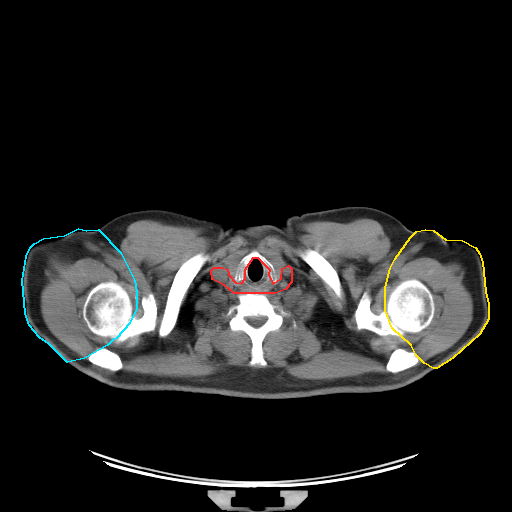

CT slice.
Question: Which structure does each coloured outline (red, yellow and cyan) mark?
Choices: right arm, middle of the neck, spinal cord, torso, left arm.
Answer: red: middle of the neck; yellow: left arm; cyan: right arm.
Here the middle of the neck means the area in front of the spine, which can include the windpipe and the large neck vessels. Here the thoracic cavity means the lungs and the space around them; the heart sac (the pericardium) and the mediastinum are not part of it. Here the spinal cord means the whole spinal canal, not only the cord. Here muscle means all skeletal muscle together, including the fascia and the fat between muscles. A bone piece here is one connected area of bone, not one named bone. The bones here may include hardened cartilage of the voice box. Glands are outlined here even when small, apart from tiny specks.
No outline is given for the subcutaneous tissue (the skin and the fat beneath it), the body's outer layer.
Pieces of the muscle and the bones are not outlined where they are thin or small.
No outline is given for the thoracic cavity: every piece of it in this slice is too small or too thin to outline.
The middle of the neck is outlined by (253, 257) (257, 257) (269, 269) (268, 274) (272, 283) (281, 278) (282, 268) (288, 265) (291, 268) (291, 282) (285, 289) (275, 293) (234, 293) (224, 285) (212, 279) (211, 270) (214, 267) (222, 267) (227, 269) (228, 274) (235, 282) (241, 283) (245, 278) (245, 269). The left arm is outlined by (425, 229) (433, 230) (445, 239) (462, 240) (475, 247) (479, 253) (482, 262) (485, 291) (488, 304) (488, 319) (479, 334) (452, 358) (436, 368) (433, 368) (424, 363) (416, 355) (411, 345) (392, 328) (385, 310) (385, 287) (390, 268) (395, 258) (410, 237) (416, 231). The right arm is outlined by (78, 228) (86, 230) (98, 229) (120, 252) (134, 280) (136, 291) (136, 308) (129, 323) (116, 338) (113, 339) (107, 345) (84, 358) (67, 362) (49, 344) (39, 337) (29, 325) (25, 313) (22, 280) (26, 256) (30, 247) (34, 243) (43, 238) (64, 235). The spinal cord is outlined by (259, 315) (260, 316) (265, 316) (266, 317) (266, 320) (260, 326) (259, 326) (258, 327) (254, 327) (252, 325) (251, 325) (245, 319) (245, 317) (249, 317) (250, 316) (258, 316). The torso is outlined by (345, 206) (382, 210) (415, 231) (389, 268) (384, 310) (391, 328) (434, 369) (422, 378) (382, 392) (260, 399) (125, 390) (101, 383) (68, 363) (107, 346) (136, 312) (134, 277) (121, 252) (99, 229) (113, 218) (164, 209) (215, 221) (227, 229) (281, 225) (292, 215). The muscle is outlined by (357, 218) (379, 222) (392, 250) (442, 263) (456, 261) (465, 269) (463, 283) (472, 296) (473, 318) (453, 345) (418, 365) (414, 351) (396, 347) (385, 364) (388, 372) (331, 380) (244, 366) (202, 377) (157, 376) (121, 370) (120, 355) (105, 346) (95, 348) (87, 360) (80, 357) (49, 330) (41, 314) (49, 253) (72, 260) (108, 253) (119, 247) (126, 227) (137, 220) (200, 227) (204, 236) (225, 240) (242, 233) (288, 239) (299, 232) (299, 223) with holes at (200, 252) (209, 258) (190, 283) (176, 324) (165, 337) (160, 337) (155, 329) (116, 342) (93, 333) (87, 327) (82, 313) (86, 297) (94, 286) (106, 281) (117, 282) (126, 290) (132, 313) (137, 318) (143, 314) (141, 298) (152, 293) (158, 326) (176, 272) (186, 260) and at (253, 250) (282, 268) (285, 265) (291, 268) (291, 282) (285, 289) (264, 294) (287, 313) (280, 327) (269, 331) (262, 341) (265, 366) (249, 364) (250, 337) (229, 327) (231, 316) (227, 311) (239, 302) (238, 294) (211, 277) (214, 267) (227, 269) (230, 261) (240, 260) and at (412, 278) (422, 282) (429, 289) (433, 297) (434, 315) (431, 322) (425, 328) (415, 333) (406, 332) (401, 336) (382, 336) (367, 329) (359, 330) (357, 328) (354, 312) (365, 291) (367, 291) (371, 297) (371, 311) (379, 314) (386, 309) (386, 303) (391, 291) (400, 282) and at (306, 248) (310, 248) (311, 249) (316, 250) (320, 254) (321, 254) (335, 269) (338, 274) (338, 276) (340, 280) (341, 288) (343, 292) (343, 296) (342, 298) (338, 298) (335, 295) (334, 292) (316, 273) (316, 272) (300, 257) (299, 255) (299, 251) (300, 250) (303, 250). The bones appear in 7 outlined pieces: piece 1: (200, 252) (209, 258) (190, 283) (176, 324) (165, 337) (160, 337) (155, 329) (116, 342) (93, 333) (87, 327) (82, 313) (86, 297) (94, 286) (106, 281) (117, 282) (126, 290) (132, 313) (137, 318) (143, 314) (141, 298) (152, 293) (158, 326) (176, 272) (186, 260); piece 2: (412, 278) (422, 282) (429, 289) (433, 297) (434, 315) (431, 322) (425, 328) (415, 333) (406, 332) (401, 336) (382, 336) (367, 329) (359, 330) (357, 328) (354, 312) (365, 291) (367, 291) (371, 297) (371, 311) (379, 314) (386, 309) (386, 303) (391, 291) (400, 282); piece 3: (238, 294) (264, 294) (272, 304) (287, 313) (280, 327) (277, 330) (269, 331) (262, 341) (263, 357) (267, 363) (265, 366) (257, 364) (251, 366) (249, 364) (252, 347) (250, 337) (242, 330) (234, 331) (229, 327) (231, 316) (227, 314) (227, 311) (230, 306) (239, 302), around a hole outlined by (259, 315) (260, 316) (265, 316) (266, 317) (266, 320) (260, 326) (259, 326) (258, 327) (254, 327) (252, 325) (251, 325) (245, 319) (245, 317) (249, 317) (250, 316) (258, 316); piece 4: (306, 248) (310, 248) (311, 249) (316, 250) (320, 254) (321, 254) (335, 269) (338, 274) (338, 276) (340, 280) (341, 288) (343, 292) (343, 296) (342, 298) (338, 298) (335, 295) (334, 292) (316, 273) (316, 272) (300, 257) (299, 255) (299, 251) (300, 250) (303, 250); piece 5: (396, 348) (403, 348) (408, 351) (412, 351) (414, 352) (416, 354) (418, 358) (418, 362) (415, 365) (396, 373) (392, 373) (391, 372) (387, 371) (386, 369) (386, 364) (387, 363) (387, 361) (390, 356) (390, 354) (393, 351) (393, 350) (394, 350); piece 6: (99, 347) (105, 347) (106, 348) (117, 353) (119, 355) (119, 356) (121, 359) (121, 362) (122, 363) (122, 368) (117, 371) (114, 371) (113, 370) (111, 370) (108, 368) (105, 368) (104, 367) (102, 367) (95, 363) (90, 362) (88, 360) (88, 356) (95, 349) (96, 349); piece 7: (253, 250) (256, 250) (271, 265) (272, 264) (273, 265) (276, 274) (276, 280) (274, 282) (272, 282) (269, 274) (270, 269) (257, 256) (253, 256) (249, 260) (244, 269) (244, 278) (243, 280) (241, 282) (239, 282) (235, 279) (235, 275) (240, 264) (241, 259). The thyroid glands appear in 2 outlined pieces: piece 1: (232, 260) (240, 260) (239, 261) (239, 264) (238, 265) (238, 266) (237, 267) (237, 269) (236, 270) (236, 271) (235, 272) (235, 274) (234, 275) (234, 279) (236, 281) (235, 281) (231, 277) (231, 276) (229, 274) (229, 272) (228, 271) (228, 263) (230, 261) (231, 261); piece 2: (270, 260) (274, 260) (275, 261) (276, 261) (277, 262) (278, 262) (280, 264) (280, 265) (281, 266) (281, 270) (280, 271) (280, 278) (277, 280) (277, 274) (276, 273) (276, 271) (275, 270) (275, 268) (274, 267) (274, 265) (272, 263) (271, 264) (271, 263) (269, 261).